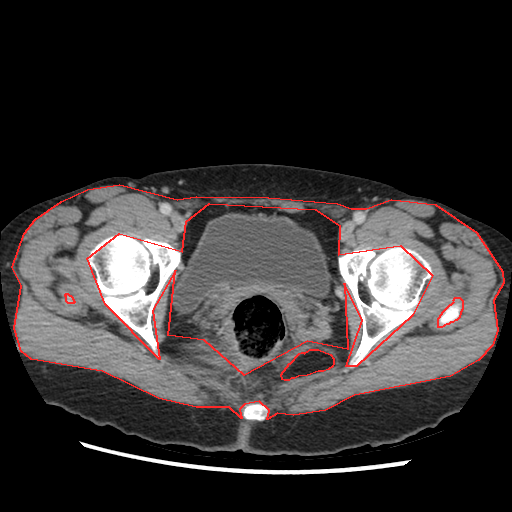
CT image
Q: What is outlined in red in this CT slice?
A: red: muscle.
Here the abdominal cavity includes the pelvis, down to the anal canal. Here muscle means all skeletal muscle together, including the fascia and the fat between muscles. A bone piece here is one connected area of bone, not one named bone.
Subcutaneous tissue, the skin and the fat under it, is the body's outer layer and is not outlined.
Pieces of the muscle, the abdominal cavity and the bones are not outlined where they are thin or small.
The muscle is outlined by 119 184; 177 199; 196 196; 268 197; 337 203; 351 208; 366 208; 391 199; 435 204; 476 232; 502 271; 503 283; 493 300; 497 330; 492 345; 478 360; 450 376; 354 395; 325 410; 293 415; 277 413; 267 419; 269 410; 259 401; 244 404; 239 409; 241 418; 229 407; 196 407; 158 398; 102 371; 31 359; 21 351; 14 328; 21 285; 12 267; 24 233; 35 219; 61 201; 87 189 with holes at 209 203; 315 209; 339 225; 338 254; 400 245; 432 275; 412 315; 356 366; 346 366; 362 320; 344 283; 347 349; 307 341; 244 375; 204 340; 168 335; 175 270; 152 310; 159 359; 105 304; 87 258; 119 233; 182 251; 186 221 and at 310 349; 318 349; 330 354; 333 358; 333 364; 332 366; 328 369; 323 371; 318 371; 307 375; 298 376; 294 378; 291 378; 288 380; 284 380; 282 379; 281 374; 289 363; 290 363; 299 353; 301 352; 303 352; 304 353 and at 455 297; 459 297; 462 300; 462 309; 460 312; 459 317; 456 320; 455 320; 452 322; 450 322; 448 324; 446 324; 441 327; 438 327; 438 318; 440 316; 440 315; 442 313; 442 312; 450 304; 451 304; 454 301; 453 300 and at 66 293; 67 293; 69 295; 70 295; 72 297; 72 298; 73 299; 73 300; 74 301; 74 302; 73 303; 68 303; 66 301; 66 296; 65 295; 64 295; 65 295; 66 294. The abdominal cavity is outlined by 209 203; 226 207; 272 206; 288 213; 304 213; 311 208; 335 220; 339 225; 336 263; 343 282; 347 349; 307 341; 286 352; 271 367; 244 375; 204 340; 178 342; 168 335; 165 324; 168 291; 175 270; 183 263; 179 236; 191 214. The torso is outlined by 236 163; 292 165; 376 180; 443 203; 511 240; 501 329; 480 379; 459 411; 398 443; 363 445; 331 455; 260 455; 240 449; 211 452; 159 445; 110 425; 96 425; 44 400; 23 363; 6 313; 0 272; 3 227; 36 203; 103 178. The bones appear in 4 outlined pieces: piece 1: 395 245; 407 247; 418 252; 430 264; 432 275; 425 282; 418 303; 413 308; 412 315; 379 339; 359 364; 346 369; 349 360; 357 350; 361 340; 362 320; 354 297; 339 273; 337 256; 343 252; 351 251; 356 248; 369 248; 378 253; piece 2: 119 233; 164 241; 182 252; 181 265; 174 270; 165 282; 152 310; 151 325; 154 337; 158 342; 160 359; 156 357; 148 343; 105 304; 103 300; 104 296; 95 282; 95 272; 87 263; 90 250; 98 242; 108 236; piece 3: 455 297; 459 297; 462 300; 462 309; 460 312; 459 317; 456 320; 455 320; 452 322; 450 322; 448 324; 446 324; 441 327; 438 327; 438 318; 440 316; 440 315; 442 313; 442 312; 450 304; 451 304; 454 301; 453 300; piece 4: 257 402; 259 402; 260 403; 262 403; 265 406; 266 406; 266 407; 268 410; 268 416; 264 420; 263 419; 245 419; 242 416; 242 414; 241 413; 241 411; 240 410; 240 409; 244 405; 245 405; 246 404; 251 404; 252 403; 256 403.